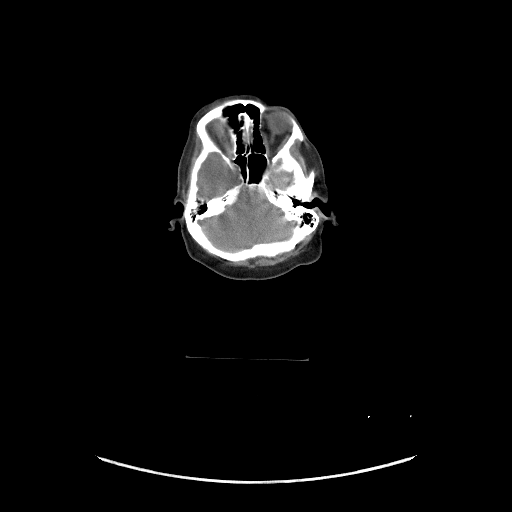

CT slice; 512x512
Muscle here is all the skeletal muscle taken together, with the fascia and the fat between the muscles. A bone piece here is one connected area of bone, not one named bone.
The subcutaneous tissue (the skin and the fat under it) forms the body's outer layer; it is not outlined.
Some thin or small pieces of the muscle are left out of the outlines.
bones: (233, 99) (251, 99) (267, 107) (262, 116) (260, 130) (265, 146) (272, 155) (291, 133) (292, 125) (289, 116) (294, 118) (304, 139) (302, 141) (296, 139) (290, 147) (290, 152) (306, 175) (311, 169) (314, 170) (311, 191) (314, 197) (307, 205) (313, 207) (319, 216) (317, 227) (293, 249) (273, 257) (257, 256) (238, 261) (224, 259) (204, 249) (194, 240) (186, 227) (183, 215) (184, 204) (188, 197) (191, 169) (201, 149) (196, 124) (207, 111) with holes at (243, 191) (250, 196) (255, 193) (260, 199) (265, 200) (279, 209) (282, 213) (281, 219) (284, 222) (295, 222) (290, 230) (290, 235) (284, 239) (256, 242) (249, 247) (235, 250) (224, 249) (216, 245) (206, 234) (200, 222) (222, 214) (228, 206) (232, 206) (238, 201) and at (210, 154) (215, 154) (227, 166) (229, 170) (235, 174) (235, 176) (237, 179) (237, 182) (226, 189) (221, 194) (215, 195) (211, 197) (204, 197) (198, 195) (198, 191) (199, 190) (199, 187) (198, 186) (198, 178) (199, 177) (198, 176) (199, 175) (199, 171) (203, 163) and at (237, 105) (249, 105) (258, 110) (257, 129) (264, 147) (262, 155) (265, 165) (257, 181) (251, 179) (249, 165) (249, 157) (261, 153) (253, 148) (256, 139) (255, 119) (245, 110) (236, 113) (236, 130) (240, 134) (242, 146) (238, 152) (237, 132) (224, 112) and at (216, 119) (219, 120) (219, 121) (224, 126) (225, 126) (226, 128) (226, 132) (227, 133) (228, 139) (230, 143) (230, 146) (229, 148) (228, 147) (227, 148) (227, 153) (224, 152) (223, 150) (216, 143) (216, 142) (211, 136) (207, 128) (207, 126) (212, 121) and at (282, 172) (284, 172) (285, 173) (289, 173) (290, 174) (291, 174) (291, 177) (290, 178) (290, 179) (289, 180) (289, 182) (287, 184) (286, 184) (285, 185) (284, 185) (283, 186) (282, 185) (282, 182) (280, 180) (280, 177) (278, 175) (280, 173) (281, 173) and at (239, 157) (243, 157) (244, 158) (244, 159) (245, 160) (245, 162) (244, 163) (244, 173) (243, 172) (243, 169) (242, 168) (242, 167) (240, 165) (240, 164) (239, 163) (238, 163) (238, 162) (237, 161) (237, 160) (238, 159) (238, 158)
muscle 1: (316, 229) (315, 233) (307, 245) (305, 251) (285, 263) (258, 271) (224, 267) (219, 262) (206, 255) (197, 247) (194, 242) (212, 255) (217, 256) (224, 260) (238, 262) (248, 259) (253, 259) (257, 257) (273, 258) (283, 253) (289, 252) (293, 250) (300, 242)
muscle 2: (296, 140) (301, 142) (304, 140) (305, 141) (309, 148) (309, 153) (318, 169) (317, 194) (314, 196) (312, 194) (312, 191) (314, 187) (314, 182) (315, 181) (315, 170) (313, 168) (311, 168) (308, 171) (308, 173) (306, 174) (301, 164) (292, 154) (291, 147) (295, 143)
muscle 3: (195, 125) (195, 133) (200, 141) (200, 149) (190, 169) (189, 182) (187, 187) (187, 197) (184, 203) (183, 202) (183, 198) (182, 197) (182, 183) (183, 182) (183, 178) (184, 177) (184, 167) (185, 166) (185, 162) (186, 161) (186, 158) (187, 157) (189, 149) (193, 141)
brain 1: (243, 191) (250, 196) (255, 193) (260, 199) (265, 200) (279, 209) (282, 213) (281, 219) (284, 222) (295, 222) (290, 230) (290, 235) (284, 239) (256, 242) (249, 247) (235, 250) (224, 249) (216, 245) (206, 234) (200, 222) (222, 214) (228, 206) (232, 206) (238, 201)
brain 2: (210, 154) (215, 154) (227, 166) (229, 170) (235, 174) (235, 176) (237, 179) (237, 182) (226, 189) (221, 194) (215, 195) (211, 197) (204, 197) (198, 195) (198, 191) (199, 190) (199, 187) (198, 186) (198, 178) (199, 177) (198, 176) (199, 175) (199, 171) (203, 163)
brain 3: (282, 172) (284, 172) (285, 173) (289, 173) (290, 174) (291, 174) (291, 177) (290, 178) (290, 179) (289, 180) (289, 182) (287, 184) (286, 184) (285, 185) (284, 185) (283, 186) (282, 185) (282, 182) (280, 180) (280, 177) (278, 175) (280, 173) (281, 173)
head: (240, 93) (256, 94) (295, 114) (320, 154) (329, 193) (326, 202) (316, 198) (307, 205) (325, 215) (333, 209) (338, 222) (324, 222) (317, 261) (262, 281) (217, 275) (187, 254) (178, 222) (168, 230) (170, 219) (182, 213) (182, 206) (172, 201) (192, 116) (218, 97) with holes at (237, 105) (249, 105) (258, 110) (257, 129) (264, 147) (262, 155) (265, 165) (257, 181) (251, 179) (249, 165) (249, 157) (261, 153) (253, 148) (256, 139) (255, 119) (245, 110) (236, 113) (236, 130) (240, 134) (242, 146) (238, 152) (237, 132) (224, 112) and at (239, 157) (243, 157) (244, 158) (244, 159) (245, 160) (245, 162) (244, 163) (244, 173) (243, 172) (243, 169) (242, 168) (242, 167) (240, 165) (240, 164) (239, 163) (238, 163) (238, 162) (237, 161) (237, 160) (238, 159) (238, 158)